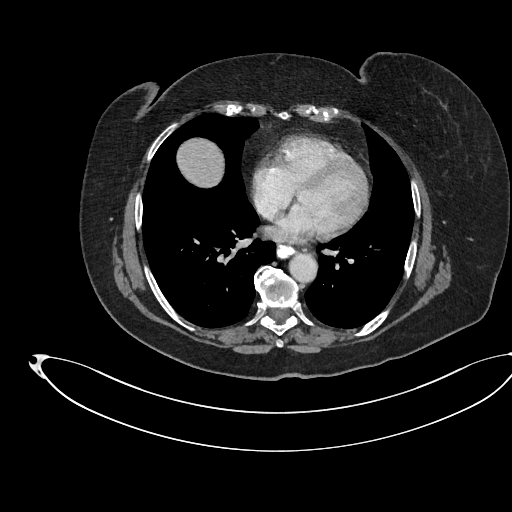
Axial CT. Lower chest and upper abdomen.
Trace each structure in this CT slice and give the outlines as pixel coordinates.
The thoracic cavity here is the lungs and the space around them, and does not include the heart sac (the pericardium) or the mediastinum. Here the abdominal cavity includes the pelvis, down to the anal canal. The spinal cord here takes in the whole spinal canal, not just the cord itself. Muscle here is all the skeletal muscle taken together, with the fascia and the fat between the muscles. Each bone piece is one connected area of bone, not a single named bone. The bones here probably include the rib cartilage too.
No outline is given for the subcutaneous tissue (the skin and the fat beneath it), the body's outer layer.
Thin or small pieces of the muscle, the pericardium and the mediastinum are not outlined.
The pericardium is outlined by [[287,128],[310,130],[340,138],[361,151],[367,161],[367,165],[371,175],[371,193],[367,210],[350,229],[329,241],[317,242],[311,245],[290,245],[285,242],[279,242],[274,240],[258,228],[261,221],[248,194],[250,170],[254,161],[266,144],[278,133]]. The mediastinum appears in 2 outlined pieces: piece 1: [[264,115],[284,121],[298,115],[323,123],[344,119],[359,125],[365,135],[369,168],[362,151],[344,139],[310,129],[287,127],[268,141],[253,161],[248,174],[247,188],[251,203],[246,194],[241,172],[242,151],[245,140],[259,127],[258,120],[252,116]]; piece 2: [[274,241],[279,243],[285,243],[290,246],[311,246],[317,243],[327,242],[319,243],[315,248],[317,252],[317,261],[318,262],[317,275],[315,279],[305,290],[302,297],[300,297],[299,295],[300,288],[294,279],[281,268],[270,264],[276,259],[276,243]]. The muscle appears in 3 outlined pieces: piece 1: [[338,108],[379,126],[401,145],[414,162],[430,200],[432,243],[443,243],[447,247],[452,270],[451,283],[427,304],[373,339],[308,355],[297,354],[283,347],[281,337],[300,321],[314,327],[314,319],[327,326],[349,330],[353,337],[366,336],[378,328],[392,309],[388,303],[401,280],[409,279],[418,250],[418,236],[412,235],[414,220],[422,214],[416,179],[409,176],[390,144],[367,124],[344,118],[333,119],[340,113]]; piece 2: [[150,144],[145,160],[149,165],[142,193],[139,190],[134,195],[133,213],[147,259],[142,269],[152,294],[167,315],[190,332],[196,331],[195,325],[211,329],[258,323],[277,336],[272,350],[244,354],[193,340],[143,315],[117,288],[111,264],[112,238]]; piece 3: [[223,99],[239,100],[244,102],[257,102],[268,103],[280,108],[284,108],[286,106],[295,103],[310,103],[297,106],[291,111],[286,109],[274,110],[272,112],[272,115],[265,114],[267,111],[266,108],[263,105],[257,103],[251,103],[248,102],[246,104],[244,105],[241,103],[235,102],[228,102],[225,104],[220,103],[216,106],[218,109],[218,112],[204,111],[195,115],[181,124],[176,120],[173,121],[177,119],[182,114],[196,108],[199,108],[208,103]]. The abdominal cavity is outlined by [[190,138],[205,138],[216,144],[221,150],[224,158],[224,171],[220,181],[216,185],[214,185],[211,187],[199,187],[188,181],[184,177],[184,176],[182,175],[177,165],[177,162],[176,161],[176,154],[179,146],[183,142],[186,140],[188,140]]. The spinal cord is outlined by [[274,308],[282,308],[283,309],[287,309],[287,310],[288,311],[288,313],[289,314],[288,315],[288,316],[285,319],[285,320],[283,322],[282,322],[281,323],[277,323],[276,322],[276,321],[274,319],[273,319],[270,316],[270,311],[272,309],[273,309]]. The torso is outlined by [[378,51],[413,53],[445,66],[478,96],[497,130],[508,167],[510,226],[485,315],[403,357],[333,376],[277,380],[193,368],[120,328],[90,283],[78,225],[88,150],[108,105],[139,84],[155,81],[161,91],[198,66],[232,56],[303,54],[357,75]]. The bones appear in 9 outlined pieces: piece 1: [[263,265],[279,268],[293,279],[299,288],[298,295],[302,307],[315,323],[314,326],[310,326],[300,320],[287,329],[280,337],[282,347],[277,347],[278,336],[269,328],[258,322],[249,326],[242,325],[252,315],[256,302],[260,299],[255,289],[254,274]]; inner edge: [[274,308],[282,308],[283,309],[287,309],[287,310],[288,311],[288,313],[289,314],[288,315],[288,316],[285,319],[285,320],[283,322],[282,322],[281,323],[277,323],[276,322],[276,321],[274,319],[273,319],[270,316],[270,311],[272,309],[273,309]]; piece 2: [[309,104],[312,104],[317,107],[329,107],[330,106],[336,107],[339,111],[338,115],[328,122],[314,121],[305,116],[299,115],[296,112],[293,112],[292,116],[290,118],[285,120],[273,115],[274,111],[286,110],[289,112],[291,112],[297,107],[305,106]]; piece 3: [[145,263],[148,265],[156,281],[156,283],[159,289],[167,301],[180,316],[194,325],[195,327],[195,331],[190,331],[177,323],[168,315],[168,314],[160,305],[155,296],[153,294],[146,279],[146,277],[144,273],[144,270],[143,269],[143,264]]; piece 4: [[228,103],[241,104],[244,106],[248,103],[251,104],[257,104],[263,106],[265,108],[266,111],[263,115],[253,115],[246,108],[245,108],[241,113],[238,115],[228,116],[222,113],[220,113],[219,112],[219,109],[217,107],[217,106],[220,104],[225,105]]; piece 5: [[388,305],[391,305],[391,309],[390,310],[387,317],[378,327],[377,327],[373,331],[372,331],[370,333],[369,333],[366,335],[363,335],[362,336],[353,336],[352,335],[352,332],[350,330],[350,329],[359,329],[366,323],[367,323],[373,318],[374,318]]; piece 6: [[175,121],[178,122],[180,124],[180,125],[177,128],[176,128],[161,143],[161,144],[156,150],[149,164],[148,164],[146,160],[147,159],[147,152],[152,142],[160,133],[160,132],[162,131],[162,130],[163,130],[168,125],[169,125],[171,123]]; piece 7: [[412,236],[417,236],[417,250],[416,251],[416,255],[415,256],[413,267],[410,273],[410,275],[407,280],[404,280],[402,278],[402,276],[404,273],[404,265],[405,264],[405,260],[406,259],[407,252],[409,248],[409,245],[410,244],[410,241],[411,240]]; piece 8: [[410,178],[414,178],[415,179],[416,183],[417,184],[418,191],[419,192],[419,198],[420,199],[420,205],[421,206],[421,214],[419,218],[416,218],[415,217],[415,212],[414,211],[414,206],[413,205],[413,199],[412,198],[412,193],[411,192]]; piece 9: [[139,191],[141,193],[141,198],[142,199],[142,216],[141,217],[141,233],[139,233],[137,231],[137,230],[136,229],[136,226],[135,225],[135,214],[134,213],[134,212],[135,211],[135,195],[136,194],[136,193],[137,192],[138,192]]. The thoracic cavity appears in 2 outlined pieces: piece 1: [[204,112],[251,116],[257,120],[257,129],[243,143],[240,172],[246,197],[260,221],[257,235],[275,243],[275,259],[259,266],[253,274],[259,299],[251,315],[234,324],[211,328],[184,318],[168,301],[149,266],[142,235],[142,194],[153,157],[176,129]], around a hole outlined by [[190,138],[205,138],[216,144],[221,150],[224,158],[224,171],[220,181],[216,185],[214,185],[211,187],[199,187],[188,181],[184,177],[184,176],[182,175],[177,165],[177,162],[176,161],[176,154],[179,146],[183,142],[186,140],[188,140]]; piece 2: [[363,123],[381,136],[402,162],[409,177],[414,219],[404,260],[403,273],[386,306],[359,328],[344,329],[311,318],[305,311],[300,298],[303,297],[318,275],[317,246],[330,242],[350,230],[368,210],[373,187],[373,175],[369,164],[366,135],[360,126]].